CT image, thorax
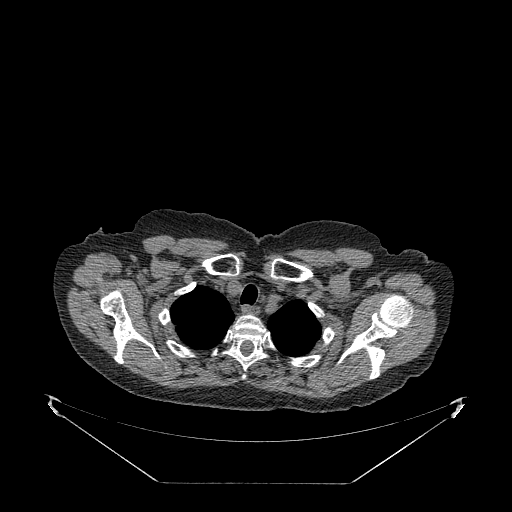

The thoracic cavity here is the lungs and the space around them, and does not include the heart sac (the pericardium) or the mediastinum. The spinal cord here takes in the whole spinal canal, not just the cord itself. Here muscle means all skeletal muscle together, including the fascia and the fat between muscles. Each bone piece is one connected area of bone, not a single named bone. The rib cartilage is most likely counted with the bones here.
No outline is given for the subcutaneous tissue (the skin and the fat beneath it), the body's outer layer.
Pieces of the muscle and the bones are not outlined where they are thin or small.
The left arm is outlined by 407 248; 417 249; 424 252; 431 259; 444 262; 451 269; 455 282; 455 291; 451 306; 450 321; 442 342; 437 350; 434 360; 429 368; 419 376; 415 377; 406 361; 395 346; 392 338; 388 334; 382 314; 392 253; 396 254. The right arm is outlined by 99 227; 101 227; 102 230; 106 233; 118 232; 122 240; 123 253; 120 285; 106 311; 93 323; 86 327; 72 341; 69 342; 60 322; 54 300; 52 287; 54 267; 59 254; 65 247; 71 244; 81 242; 88 234; 96 231. The torso is outlined by 160 208; 205 212; 227 219; 257 236; 323 219; 357 224; 373 232; 391 253; 381 309; 383 322; 414 377; 369 405; 323 413; 185 405; 138 396; 113 384; 88 365; 70 343; 107 311; 119 290; 124 253; 119 232; 130 231; 142 215. The spinal cord is outlined by 245 341; 249 341; 250 342; 251 342; 251 343; 253 346; 253 347; 252 348; 252 350; 251 351; 251 352; 249 354; 248 354; 247 355; 244 355; 242 353; 242 352; 240 349; 240 347; 241 346; 241 345; 242 344; 242 343. The mediastinum is outlined by 252 275; 260 277; 270 283; 285 286; 294 295; 299 297; 289 300; 272 313; 266 320; 266 327; 263 320; 259 316; 251 312; 242 313; 236 316; 228 300; 221 292; 211 288; 208 285; 200 284; 214 278; 231 279; 242 278. The muscle is outlined by 160 234; 221 239; 251 256; 295 248; 366 250; 374 261; 363 276; 417 271; 434 284; 435 334; 418 357; 381 375; 386 352; 373 343; 409 326; 416 312; 406 295; 395 292; 383 299; 370 325; 335 362; 339 366; 364 349; 370 381; 333 397; 268 392; 242 383; 182 389; 158 385; 116 364; 86 338; 69 315; 66 293; 73 269; 87 254; 108 252; 124 266; 142 266; 148 262; 142 240; inner edges: 252 275; 285 286; 324 310; 319 323; 322 328; 330 326; 335 335; 327 345; 320 339; 311 349; 311 353; 322 355; 316 365; 297 367; 289 364; 285 355; 272 353; 271 358; 278 360; 256 361; 241 379; 240 363; 227 354; 211 356; 209 349; 194 349; 195 357; 179 357; 168 348; 167 338; 181 341; 174 326; 163 325; 157 315; 163 307; 171 306; 176 289; 192 281; 199 285; 214 278, then 115 289; 118 289; 123 296; 132 325; 153 344; 161 357; 160 360; 155 357; 148 346; 135 339; 129 340; 125 345; 122 355; 124 363; 119 364; 114 360; 113 355; 116 352; 116 341; 113 335; 115 320; 102 311; 99 301; 103 295, then 278 256; 281 256; 290 261; 297 262; 300 264; 302 264; 303 265; 305 265; 307 266; 313 272; 313 276; 310 278; 308 278; 302 281; 289 281; 288 280; 284 280; 283 279; 274 279; 272 278; 270 276; 270 262; 274 258, then 227 252; 232 252; 234 253; 239 258; 240 258; 241 260; 241 263; 240 264; 241 269; 238 275; 236 276; 227 276; 226 275; 213 275; 208 273; 201 265; 201 262; 204 259; 206 259; 210 257; 213 257; 218 254; 222 254. The bones appear in 11 outlined pieces: piece 1: 395 293; 406 296; 415 312; 409 325; 400 328; 392 337; 380 338; 372 343; 385 352; 380 365; 380 375; 372 380; 367 379; 370 372; 370 360; 364 348; 348 355; 341 364; 336 365; 354 337; 371 325; 371 316; 379 309; 384 299; piece 2: 247 313; 262 320; 278 350; 277 353; 271 354; 271 358; 274 359; 276 356; 278 360; 272 362; 268 358; 263 358; 256 361; 248 367; 246 378; 241 379; 243 371; 238 361; 227 354; 222 357; 211 356; 210 350; 220 343; 235 318, around a hole outlined by 245 341; 249 341; 250 342; 251 342; 251 343; 253 346; 253 347; 252 348; 252 350; 251 351; 251 352; 249 354; 248 354; 247 355; 244 355; 242 353; 242 352; 240 349; 240 347; 241 346; 241 345; 242 344; 242 343; piece 3: 115 289; 118 289; 123 296; 132 325; 153 344; 161 357; 160 360; 155 357; 148 346; 135 339; 129 340; 125 345; 122 355; 124 363; 119 364; 114 360; 113 355; 116 352; 116 341; 113 335; 115 320; 102 311; 99 301; 103 295; piece 4: 278 256; 281 256; 290 261; 297 262; 300 264; 302 264; 303 265; 305 265; 307 266; 313 272; 313 276; 310 278; 308 278; 302 281; 289 281; 288 280; 284 280; 283 279; 274 279; 272 278; 270 276; 270 262; 274 258; piece 5: 227 252; 232 252; 234 253; 239 258; 240 258; 241 260; 241 263; 240 264; 241 269; 238 275; 236 276; 227 276; 226 275; 213 275; 208 273; 201 265; 201 262; 204 259; 206 259; 210 257; 213 257; 218 254; 222 254; piece 6: 310 353; 312 353; 313 354; 321 354; 322 355; 319 362; 316 365; 314 366; 312 366; 311 367; 297 367; 296 366; 294 366; 293 365; 291 365; 289 364; 287 361; 287 357; 289 356; 293 356; 294 357; 296 357; 297 356; 304 356; piece 7: 167 338; 169 338; 170 339; 172 339; 177 342; 179 342; 180 343; 187 346; 189 348; 192 349; 196 353; 196 356; 195 357; 179 357; 178 356; 177 356; 175 354; 174 354; 168 348; 168 347; 166 345; 166 344; 165 343; 165 341; piece 8: 327 326; 330 326; 335 331; 335 335; 334 336; 334 337; 333 338; 333 339; 327 345; 324 345; 323 344; 323 342; 321 340; 321 334; 322 333; 322 328; 323 327; 326 327; piece 9: 192 281; 196 281; 196 283; 197 284; 195 286; 195 287; 191 291; 190 291; 189 292; 187 292; 184 294; 182 294; 181 295; 178 296; 174 300; 174 295; 173 294; 173 292; 176 289; 177 289; 182 286; 184 286; 185 285; 188 284; piece 10: 163 307; 166 307; 167 308; 169 308; 169 315; 170 316; 170 318; 171 319; 171 322; 172 323; 172 325; 169 325; 168 324; 167 325; 163 325; 158 319; 158 317; 157 316; 157 315; 158 314; 158 313; piece 11: 309 300; 310 300; 311 301; 313 301; 315 303; 316 303; 320 307; 321 307; 324 310; 324 312; 325 313; 325 314; 324 315; 324 316; 323 316; 319 320; 315 316; 315 315; 308 307; 308 306; 307 305; 307 301; 308 301. The thoracic cavity appears in 2 outlined pieces: piece 1: 197 285; 208 286; 211 289; 213 289; 221 293; 227 300; 235 316; 234 320; 226 330; 223 337; 219 343; 210 349; 193 349; 187 345; 182 343; 176 333; 176 330; 173 325; 172 319; 170 315; 170 307; 173 302; 178 297; 191 292; piece 2: 295 299; 301 299; 306 303; 307 307; 319 321; 321 326; 321 333; 320 339; 315 343; 309 353; 304 355; 297 355; 296 356; 289 355; 286 356; 279 352; 279 350; 273 342; 271 337; 271 333; 267 328; 267 320; 272 314; 286 303.